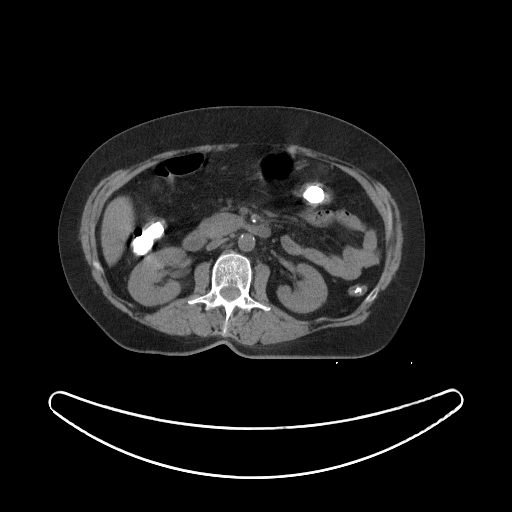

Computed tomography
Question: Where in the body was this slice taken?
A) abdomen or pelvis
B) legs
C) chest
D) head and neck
Answer: A) abdomen or pelvis
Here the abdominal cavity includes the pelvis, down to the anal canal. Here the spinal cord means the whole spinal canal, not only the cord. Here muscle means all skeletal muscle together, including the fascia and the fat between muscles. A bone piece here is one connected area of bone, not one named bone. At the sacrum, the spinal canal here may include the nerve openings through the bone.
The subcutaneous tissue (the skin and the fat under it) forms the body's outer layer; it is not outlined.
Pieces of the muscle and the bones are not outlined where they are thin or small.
{"muscle":[{"outer":[[245,141],[264,141],[272,144],[296,144],[315,151],[337,157],[361,169],[371,177],[379,181],[391,194],[397,204],[400,213],[400,219],[402,223],[403,243],[402,244],[401,261],[392,280],[388,286],[382,291],[372,307],[369,316],[363,322],[357,325],[326,328],[289,341],[267,345],[257,344],[249,346],[238,343],[231,337],[225,337],[219,335],[201,337],[194,334],[191,334],[188,336],[180,336],[179,335],[170,335],[164,333],[131,318],[115,307],[104,296],[101,288],[92,277],[91,270],[85,259],[81,245],[81,241],[79,237],[79,229],[82,212],[85,203],[95,186],[104,177],[118,169],[127,168],[132,165],[144,161],[156,154],[168,150],[206,144],[234,143]],"hole":[[264,147],[353,177],[380,214],[386,235],[390,213],[383,269],[369,302],[296,318],[269,301],[270,268],[258,261],[249,294],[270,310],[235,307],[223,335],[223,306],[187,302],[209,291],[209,261],[195,266],[192,293],[151,312],[94,267],[103,206],[136,175],[182,152]]}],"torso":[[[221,105],[283,105],[327,113],[376,137],[406,166],[421,204],[425,260],[408,311],[394,337],[381,350],[353,359],[250,359],[225,344],[189,355],[142,353],[115,343],[76,301],[61,266],[57,227],[63,201],[83,162],[104,141],[129,127],[179,111]]],"spinal_cord":[[[227,286],[233,286],[234,287],[236,287],[238,289],[238,290],[239,291],[239,295],[237,297],[236,297],[231,300],[228,300],[227,299],[226,299],[224,297],[223,297],[221,295],[221,294],[220,293],[220,291],[222,288],[223,288],[224,287],[226,287]]],"abdominal_cavity":[[[264,147],[339,168],[380,214],[383,269],[352,311],[316,319],[290,315],[268,299],[269,266],[258,261],[253,271],[250,260],[235,251],[221,253],[211,269],[209,261],[198,263],[192,293],[151,312],[112,289],[98,257],[96,226],[115,191],[174,154]]],"bones":[{"outer":[[230,252],[241,254],[249,260],[252,269],[249,294],[256,301],[269,306],[270,310],[253,307],[247,311],[235,307],[228,318],[227,332],[223,335],[225,320],[223,306],[206,310],[202,302],[189,304],[187,301],[209,291],[211,270],[216,259],[221,254]],"hole":[[227,286],[233,286],[234,287],[236,287],[238,289],[238,290],[239,291],[239,295],[237,297],[236,297],[231,300],[228,300],[227,299],[226,299],[224,297],[223,297],[221,295],[221,294],[220,293],[220,291],[222,288],[223,288],[224,287],[226,287]]},[[376,286],[377,286],[378,287],[378,290],[377,291],[377,292],[374,295],[374,296],[370,300],[370,301],[369,302],[365,302],[364,301],[364,300],[365,299],[365,298],[366,297],[366,296],[374,288],[374,287],[375,287]]]}